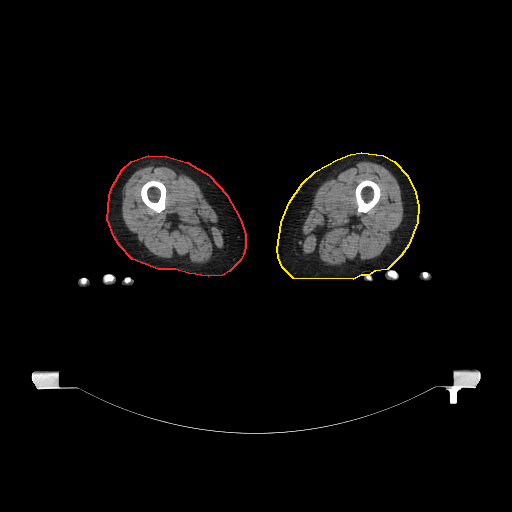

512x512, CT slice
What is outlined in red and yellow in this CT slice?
red: right leg; yellow: left leg.
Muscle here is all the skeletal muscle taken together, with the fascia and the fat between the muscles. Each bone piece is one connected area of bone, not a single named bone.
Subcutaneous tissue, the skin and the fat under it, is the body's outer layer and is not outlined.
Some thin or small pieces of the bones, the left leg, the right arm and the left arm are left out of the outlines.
The right leg is outlined by 148 155; 166 156; 187 162; 209 175; 226 194; 240 219; 245 234; 245 247; 243 254; 240 260; 229 271; 222 275; 208 276; 188 273; 175 269; 158 269; 132 259; 119 245; 114 237; 107 219; 109 195; 112 186; 122 169; 131 161. The left leg is outlined by 361 152; 383 155; 394 161; 407 175; 415 192; 418 206; 417 222; 408 245; 401 255; 387 269; 374 271; 368 275; 361 275; 353 279; 293 278; 282 267; 278 257; 277 249; 281 222; 289 202; 302 183; 315 171; 337 159; 350 154. The right arm is outlined by 106 275; 111 275; 112 276; 113 276; 113 281; 112 282; 110 282; 109 283; 106 283; 105 282; 104 282; 104 277. The bones appear in 4 outlined pieces: piece 1: 364 179; 368 179; 369 180; 371 180; 375 182; 379 186; 379 188; 380 189; 380 197; 379 198; 378 202; 367 212; 365 213; 364 212; 359 212; 358 213; 357 212; 357 204; 356 203; 356 198; 355 197; 355 189; 357 185; 362 180; piece 2: 150 180; 158 180; 162 182; 164 184; 166 188; 166 199; 165 200; 165 208; 162 211; 158 213; 154 211; 149 207; 148 207; 143 202; 141 198; 141 194; 140 193; 141 191; 141 187; 146 182; piece 3: 389 270; 391 270; 392 271; 394 271; 395 272; 396 272; 396 273; 397 274; 397 278; 396 278; 395 279; 391 279; 387 275; 387 272; piece 4: 106 275; 111 275; 112 276; 113 276; 113 281; 112 282; 110 282; 109 283; 106 283; 105 282; 104 282; 104 277. The muscle appears in 2 outlined pieces: piece 1: 360 161; 370 161; 382 165; 389 170; 397 180; 400 187; 403 206; 401 223; 395 230; 390 243; 378 257; 362 263; 352 263; 341 267; 323 266; 312 261; 296 248; 296 236; 303 226; 312 207; 315 193; 321 184; 340 172; 353 167; inner edge: 364 179; 368 179; 369 180; 371 180; 375 182; 379 186; 379 188; 380 189; 380 197; 379 198; 378 202; 367 212; 365 213; 364 212; 359 212; 358 213; 357 212; 357 204; 356 203; 356 198; 355 197; 355 189; 357 185; 362 180; piece 2: 149 165; 156 167; 169 167; 178 174; 182 173; 187 175; 199 186; 207 202; 215 211; 225 230; 227 237; 226 247; 222 253; 207 263; 194 264; 185 259; 172 261; 156 257; 139 243; 125 225; 122 217; 122 190; 127 180; 136 170, around a hole outlined by 150 180; 158 180; 162 182; 164 184; 166 188; 166 199; 165 200; 165 208; 162 211; 158 213; 154 211; 149 207; 148 207; 143 202; 141 198; 141 194; 140 193; 141 191; 141 187; 146 182. The left arm is outlined by 389 271; 394 271; 395 272; 396 272; 396 273; 397 274; 397 278; 396 278; 395 279; 388 279; 386 277; 386 273; 387 272; 388 272.